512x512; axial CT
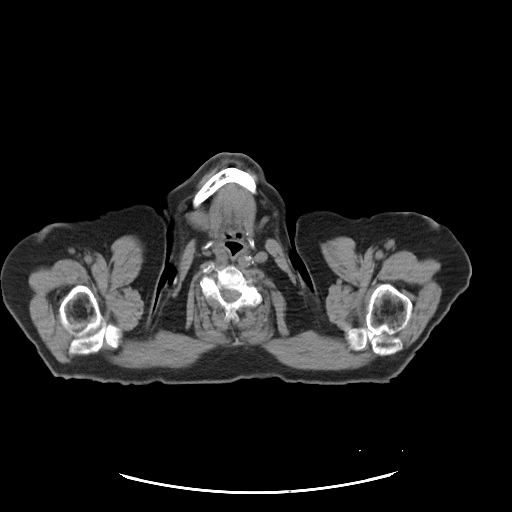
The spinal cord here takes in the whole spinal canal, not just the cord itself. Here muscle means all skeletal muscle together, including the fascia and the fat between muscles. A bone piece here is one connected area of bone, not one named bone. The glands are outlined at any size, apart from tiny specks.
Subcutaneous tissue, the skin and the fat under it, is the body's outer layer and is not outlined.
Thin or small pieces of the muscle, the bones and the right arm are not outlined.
spinal cord: 222 288; 224 288; 225 289; 227 289; 228 290; 234 290; 235 291; 237 291; 240 294; 240 295; 235 300; 234 300; 233 301; 226 301; 224 299; 224 298; 222 296; 222 295; 221 294; 221 292; 220 291; 220 290
right arm: 136 202; 151 204; 161 213; 168 229; 167 262; 158 283; 158 293; 147 323; 137 333; 109 349; 70 361; 45 365; 33 344; 25 336; 5 307; 0 280; 0 269; 4 259; 17 242; 47 224; 66 219; 89 220; 108 210; 120 208
muscle: 222 159; 254 170; 279 213; 296 325; 325 326; 332 273; 320 242; 389 238; 441 262; 441 299; 419 337; 402 350; 396 335; 413 303; 381 282; 364 325; 343 330; 350 350; 369 344; 379 356; 355 369; 297 369; 258 345; 218 347; 183 368; 127 368; 99 354; 59 362; 29 315; 30 271; 70 246; 107 250; 136 235; 145 248; 133 283; 144 301; 139 329; 149 334; 172 323; 177 208 with holes at 78 284; 85 285; 91 290; 98 303; 100 312; 105 321; 108 324; 112 324; 121 329; 123 334; 119 346; 117 348; 112 348; 104 343; 100 349; 95 353; 77 354; 69 352; 70 343; 74 336; 61 324; 58 309; 68 291; 73 286 and at 210 262; 213 262; 216 267; 232 264; 239 269; 247 279; 252 278; 253 283; 261 294; 261 301; 255 306; 244 305; 239 307; 236 310; 237 317; 227 319; 224 308; 216 299; 212 297; 206 298; 202 293; 199 283; 204 274; 203 269 and at 227 167; 236 167; 253 175; 255 177; 254 179; 256 184; 256 192; 255 193; 252 193; 243 186; 235 182; 228 182; 227 183; 225 183; 219 187; 210 196; 209 196; 197 207; 194 207; 192 205; 192 199; 195 194; 211 176; 218 171 and at 197 211; 198 211; 199 212; 201 212; 202 213; 204 213; 208 217; 208 218; 209 219; 209 227; 208 228; 207 231; 202 231; 201 230; 197 230; 189 222; 189 221; 187 218; 187 215; 189 213; 190 213; 191 212; 196 212 and at 227 241; 234 241; 235 242; 238 242; 240 244; 241 244; 241 247; 239 249; 238 249; 237 250; 237 251; 235 251; 234 252; 233 252; 232 251; 231 251; 231 250; 230 249; 230 248; 229 247; 228 247; 226 245; 226 242 and at 248 238; 249 238; 250 238; 251 238; 252 239; 253 240; 253 241; 253 242; 254 243; 254 244; 254 245; 254 246; 254 247; 253 247; 252 247; 251 247; 251 246; 250 245; 250 244; 249 243; 249 242; 248 241; 248 240; 248 239
torso: 152 312; 169 327; 224 348; 256 347; 298 326; 326 319; 338 338; 393 378; 388 383; 358 382; 343 385; 285 382; 276 377; 239 379; 229 383; 163 384; 157 381; 145 385; 122 385; 55 377; 46 366; 95 355; 119 345; 141 331
bones 1: 381 283; 390 283; 406 295; 412 303; 411 315; 406 326; 395 335; 401 340; 402 349; 394 354; 385 356; 374 353; 369 343; 364 349; 358 351; 352 350; 348 347; 344 336; 344 330; 346 328; 359 328; 365 325; 366 305; 373 290
bones 2: 78 284; 85 285; 91 290; 98 303; 100 312; 105 321; 108 324; 112 324; 121 329; 123 334; 119 346; 117 348; 112 348; 104 343; 100 349; 95 353; 77 354; 69 352; 70 343; 74 336; 61 324; 58 309; 68 291; 73 286
bones 3: 210 262; 213 262; 216 267; 232 264; 239 269; 247 279; 252 278; 253 283; 261 294; 261 301; 255 306; 244 305; 239 307; 236 310; 237 317; 227 319; 224 308; 216 299; 212 297; 206 298; 202 293; 199 283; 204 274; 203 269, around a hole outlined by 222 288; 224 288; 225 289; 227 289; 228 290; 234 290; 235 291; 237 291; 240 294; 240 295; 235 300; 234 300; 233 301; 226 301; 224 299; 224 298; 222 296; 222 295; 221 294; 221 292; 220 291; 220 290
bones 4: 227 167; 236 167; 253 175; 255 177; 254 179; 256 184; 256 192; 255 193; 252 193; 243 186; 235 182; 228 182; 227 183; 225 183; 219 187; 210 196; 209 196; 197 207; 194 207; 192 205; 192 199; 195 194; 211 176; 218 171
head and neck: 220 152; 239 152; 251 157; 283 196; 288 210; 291 261; 312 289; 326 318; 298 325; 256 346; 224 347; 212 343; 169 326; 152 311; 160 289; 166 280; 172 281; 175 272; 168 262; 171 227; 168 228; 161 212; 164 198; 206 160; inner edge: 227 241; 234 241; 235 242; 238 242; 240 244; 241 244; 241 247; 239 249; 238 249; 237 250; 237 251; 235 251; 234 252; 233 252; 232 251; 231 251; 231 250; 230 249; 230 248; 229 247; 228 247; 226 245; 226 242
left arm: 320 208; 334 210; 350 217; 370 216; 383 211; 419 212; 449 228; 468 254; 471 263; 471 276; 468 288; 457 298; 447 314; 433 329; 414 357; 396 377; 384 371; 334 333; 311 287; 309 275; 295 248; 295 222; 297 217; 303 212
submandibular glands: 197 211; 198 211; 199 212; 201 212; 202 213; 204 213; 208 217; 208 218; 209 219; 209 227; 208 228; 207 231; 202 231; 201 230; 197 230; 189 222; 189 221; 187 218; 187 215; 189 213; 190 213; 191 212; 196 212